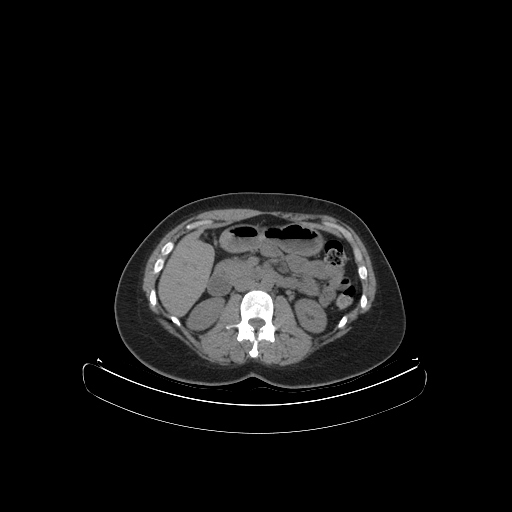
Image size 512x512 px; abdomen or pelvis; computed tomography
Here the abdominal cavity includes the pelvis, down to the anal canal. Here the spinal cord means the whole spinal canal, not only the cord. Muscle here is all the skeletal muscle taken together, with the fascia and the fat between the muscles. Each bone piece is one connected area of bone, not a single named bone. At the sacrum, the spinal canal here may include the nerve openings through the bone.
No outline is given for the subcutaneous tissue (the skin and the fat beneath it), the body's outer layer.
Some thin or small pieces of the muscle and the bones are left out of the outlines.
{"muscle":[[[226,208],[324,214],[350,226],[368,252],[376,279],[376,292],[369,310],[344,335],[323,345],[299,362],[280,367],[261,363],[257,359],[259,342],[275,341],[275,296],[281,295],[285,298],[296,324],[313,337],[329,332],[336,325],[338,329],[343,328],[348,320],[347,314],[359,303],[362,309],[366,308],[368,298],[362,292],[362,280],[368,278],[368,270],[364,264],[357,263],[362,262],[363,255],[356,245],[352,246],[350,243],[353,239],[348,230],[338,223],[327,220],[322,223],[339,232],[346,239],[342,239],[332,233],[271,214],[259,214],[213,227],[198,227],[212,221],[201,219],[186,224],[185,232],[174,241],[168,240],[160,248],[160,255],[152,267],[152,273],[157,274],[157,277],[148,295],[149,305],[153,309],[158,303],[177,327],[182,324],[190,332],[203,334],[216,325],[232,294],[239,295],[240,320],[227,324],[225,328],[237,330],[238,342],[247,340],[251,343],[248,351],[251,359],[241,365],[224,366],[213,363],[164,332],[152,316],[142,293],[147,260],[161,238],[182,221],[204,211]]],"torso":[[[229,192],[309,195],[339,203],[358,215],[378,242],[399,285],[406,315],[406,329],[397,350],[365,374],[309,389],[279,387],[256,377],[217,386],[186,384],[159,375],[136,359],[121,340],[114,317],[114,297],[124,266],[147,234],[169,213],[194,200]]],"abdominal_cavity":[[[259,215],[294,221],[351,245],[361,280],[359,302],[329,331],[316,336],[306,332],[297,324],[283,295],[272,297],[259,288],[250,289],[242,296],[232,293],[215,325],[203,333],[190,331],[158,302],[155,288],[158,274],[182,234],[197,227],[219,227]]],"spinal_cord":[[[253,318],[259,318],[260,319],[261,319],[262,320],[263,320],[263,321],[264,322],[264,323],[260,327],[259,327],[256,330],[254,328],[254,327],[252,325],[251,325],[249,323],[249,320],[250,319],[252,319]]],"bones":[{"outer":[[253,289],[263,290],[271,296],[273,300],[272,323],[276,327],[273,342],[265,339],[258,342],[258,354],[256,357],[249,355],[252,347],[252,343],[249,340],[238,341],[238,330],[235,327],[226,328],[227,325],[236,324],[241,320],[241,299],[245,293]],"hole":[[253,318],[259,318],[260,319],[261,319],[262,320],[263,320],[263,321],[264,322],[264,323],[260,327],[259,327],[256,330],[254,328],[254,327],[252,325],[251,325],[249,323],[249,320],[250,319],[252,319]]},[[168,241],[172,241],[173,242],[173,248],[171,250],[171,251],[165,257],[164,263],[163,264],[163,267],[159,271],[158,273],[155,274],[153,273],[153,267],[154,266],[154,264],[156,260],[161,255],[161,252],[160,251],[161,250],[161,248]],[[326,221],[338,224],[342,227],[343,227],[350,233],[351,235],[351,238],[352,239],[351,240],[348,240],[339,231],[338,231],[336,229],[332,227],[330,227],[327,225],[325,225],[323,223],[323,222],[325,222]],[[201,220],[210,220],[211,221],[210,222],[209,222],[208,223],[205,223],[204,224],[202,224],[201,225],[198,225],[196,227],[194,227],[191,229],[187,229],[186,228],[186,225],[187,225],[188,224],[189,224],[192,222],[195,222],[196,221],[200,221]],[[153,288],[154,288],[155,289],[155,294],[156,295],[156,299],[157,300],[157,302],[156,303],[156,304],[155,305],[155,306],[153,308],[152,308],[151,307],[151,306],[150,305],[150,303],[149,302],[149,295],[150,294],[150,292],[151,291],[151,290]],[[362,264],[363,265],[364,265],[365,266],[365,267],[366,268],[366,269],[367,270],[367,278],[366,279],[361,279],[360,278],[360,277],[359,276],[359,275],[358,274],[358,266],[359,265],[361,265]],[[353,246],[356,246],[358,248],[358,249],[360,251],[360,252],[361,253],[361,254],[362,255],[362,260],[361,261],[361,262],[357,262],[356,261],[356,260],[355,259],[355,256],[354,255],[354,251],[353,250]],[[344,315],[346,315],[347,316],[347,320],[346,321],[346,323],[344,325],[344,326],[343,327],[342,327],[341,328],[338,328],[338,327],[337,326],[337,324],[338,323],[338,322],[340,320],[340,319]],[[172,315],[173,316],[175,316],[179,320],[179,321],[181,323],[181,325],[179,327],[178,326],[177,326],[170,319],[170,316],[171,316]]]}